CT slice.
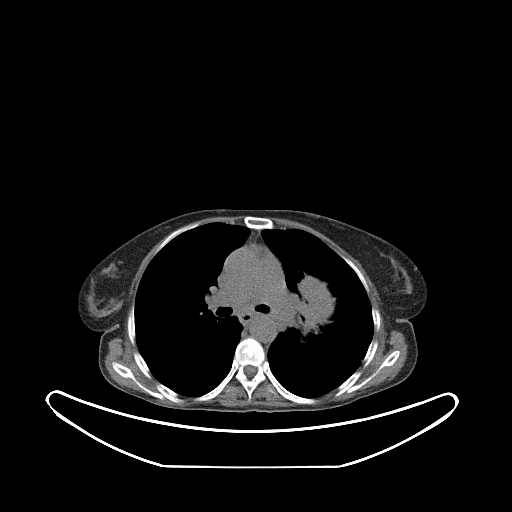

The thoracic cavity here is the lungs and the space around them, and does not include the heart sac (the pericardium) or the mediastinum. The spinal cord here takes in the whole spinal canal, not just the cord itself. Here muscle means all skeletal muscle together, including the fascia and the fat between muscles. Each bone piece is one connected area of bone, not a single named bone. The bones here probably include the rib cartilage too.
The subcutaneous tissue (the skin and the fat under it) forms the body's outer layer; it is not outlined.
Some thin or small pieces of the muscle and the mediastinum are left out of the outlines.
{"thoracic_cavity":[[[214,222],[244,225],[249,229],[244,242],[225,257],[216,278],[215,287],[220,304],[229,316],[237,318],[242,328],[240,340],[235,347],[227,374],[215,387],[194,397],[181,395],[158,381],[151,373],[136,343],[135,300],[147,266],[162,248],[182,233]],[[275,228],[299,229],[319,238],[353,270],[361,282],[371,306],[373,333],[359,366],[335,389],[317,397],[305,397],[288,390],[275,377],[267,359],[267,352],[270,345],[280,331],[278,323],[287,293],[286,278],[282,263],[268,247],[262,235],[262,230]]],"spinal_cord":[[[247,365],[251,365],[252,366],[254,366],[256,368],[256,372],[255,373],[255,374],[252,377],[251,377],[250,378],[249,378],[248,377],[247,377],[247,376],[245,374],[245,373],[244,372],[244,367],[245,366],[246,366]]],"muscle":[[[268,217],[278,217],[296,221],[315,229],[335,242],[361,264],[378,293],[380,299],[379,307],[384,320],[385,330],[389,332],[395,329],[402,332],[405,337],[407,344],[406,359],[394,377],[378,385],[370,386],[351,397],[322,405],[313,405],[318,402],[316,398],[333,390],[335,390],[335,397],[358,390],[384,367],[393,365],[398,359],[400,351],[398,349],[394,349],[372,373],[358,382],[362,374],[362,371],[358,368],[362,362],[362,366],[365,368],[374,357],[378,348],[378,341],[373,338],[373,334],[374,331],[377,332],[380,329],[381,321],[379,310],[371,305],[368,296],[370,288],[363,274],[349,258],[344,255],[339,255],[319,237],[299,228],[275,227],[274,222]],[[163,238],[141,276],[134,304],[130,307],[127,313],[126,318],[126,329],[129,341],[133,346],[136,344],[137,347],[137,350],[132,353],[133,359],[140,371],[148,379],[151,379],[152,375],[157,380],[154,384],[155,390],[142,384],[126,365],[115,360],[111,362],[112,368],[116,373],[123,378],[131,379],[148,395],[121,385],[114,380],[109,374],[104,360],[108,352],[109,340],[117,336],[123,336],[124,324],[129,305],[129,289],[132,280],[144,257]],[[233,379],[243,387],[249,402],[256,387],[268,380],[273,388],[268,389],[271,393],[276,392],[285,399],[298,404],[296,405],[181,406],[168,404],[155,398],[167,399],[181,404],[184,402],[181,396],[187,396],[193,397],[197,403],[202,403],[215,398]]],"mediastinum":[[[276,256],[284,273],[286,293],[277,323],[279,331],[269,345],[266,355],[263,346],[255,338],[248,336],[241,339],[243,327],[235,315],[229,315],[225,310],[216,287],[223,265],[222,285],[224,291],[234,301],[245,305],[277,303],[283,296],[284,277]],[[250,229],[261,230],[261,235],[262,236],[262,238],[267,247],[271,251],[266,248],[262,244],[257,244],[253,242],[252,243],[248,243],[233,251],[224,263],[225,259],[228,254],[236,248],[240,247],[245,242],[248,236],[250,234]]],"pericardium":[[[253,243],[257,245],[262,245],[266,249],[271,252],[277,259],[278,265],[283,277],[283,290],[282,291],[282,296],[281,298],[275,303],[245,304],[234,300],[225,291],[225,288],[223,285],[224,264],[228,260],[228,258],[233,252],[248,244],[252,244]]],"torso":[[[215,208],[317,213],[373,233],[409,256],[421,271],[427,287],[425,306],[410,320],[418,356],[409,376],[394,386],[346,405],[287,412],[172,409],[111,385],[98,366],[102,333],[86,327],[78,314],[77,296],[83,280],[110,252],[142,231],[183,213]]],"bones":[{"outer":[[248,337],[262,346],[270,370],[282,386],[295,395],[315,398],[317,402],[312,405],[299,404],[276,391],[271,392],[269,389],[274,388],[268,379],[255,387],[249,401],[246,390],[234,378],[215,397],[195,401],[195,397],[215,388],[228,374],[238,343]],"hole":[[247,365],[251,365],[252,366],[254,366],[256,368],[256,372],[255,373],[255,374],[252,377],[251,377],[250,378],[249,378],[248,377],[247,377],[247,376],[245,374],[245,373],[244,372],[244,367],[245,366],[246,366]]},[[114,361],[129,368],[135,378],[142,385],[148,389],[155,391],[156,390],[155,384],[156,382],[159,382],[179,394],[180,397],[183,399],[183,402],[176,403],[167,398],[161,399],[150,395],[143,390],[131,378],[123,377],[116,372],[112,365],[112,362]],[[394,350],[398,350],[399,355],[393,364],[388,366],[384,366],[371,379],[358,389],[350,392],[344,392],[338,396],[335,396],[336,389],[354,372],[357,370],[361,371],[361,374],[358,378],[357,382],[359,383],[363,381],[372,374],[379,367],[386,357]],[[245,216],[257,216],[258,217],[267,217],[268,218],[269,218],[273,222],[273,223],[274,224],[274,228],[264,228],[263,229],[256,229],[255,228],[249,228],[247,226],[246,226],[244,224],[244,221],[243,220],[244,219],[244,218],[245,217]],[[194,222],[197,222],[199,225],[193,228],[191,228],[186,231],[184,231],[180,234],[177,235],[171,239],[163,247],[162,247],[161,249],[159,250],[159,251],[154,254],[160,244],[170,233],[171,233],[174,230],[182,226],[184,226],[187,224],[190,224]],[[133,305],[134,305],[134,324],[135,325],[135,344],[134,345],[133,345],[131,343],[131,342],[130,341],[130,339],[129,338],[129,335],[128,334],[128,330],[127,329],[127,318],[128,317],[128,313],[129,312],[129,311],[130,310],[131,307]],[[135,351],[138,351],[139,352],[139,353],[143,358],[144,361],[146,363],[147,366],[149,368],[149,371],[151,374],[151,378],[148,378],[141,371],[141,370],[139,368],[138,365],[136,363],[136,362],[134,359],[134,356],[133,355],[133,353]],[[372,339],[375,339],[377,341],[377,348],[374,353],[374,355],[373,356],[373,357],[371,359],[371,360],[369,362],[369,363],[365,367],[364,367],[363,366],[363,362],[362,361],[362,360],[363,359],[363,358],[368,349],[368,347],[369,346]],[[341,256],[344,256],[348,259],[349,259],[357,267],[357,268],[360,271],[360,272],[362,274],[362,275],[369,288],[369,291],[367,293],[367,292],[366,291],[362,282],[360,280],[360,279],[357,275],[357,274],[354,271],[354,270],[341,257]],[[372,307],[374,307],[376,309],[377,309],[378,310],[378,311],[379,312],[379,314],[380,315],[380,321],[379,322],[379,329],[377,331],[375,331],[374,330],[374,324],[373,323],[373,318],[372,317],[372,311],[371,310],[371,309],[372,308]]]}